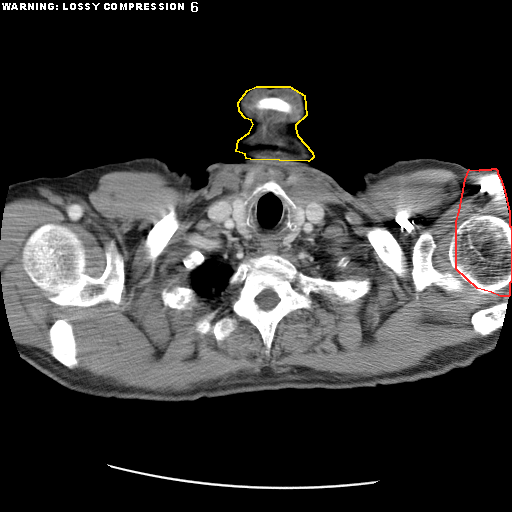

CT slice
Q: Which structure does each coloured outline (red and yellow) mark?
A: red: left arm; yellow: head and neck.
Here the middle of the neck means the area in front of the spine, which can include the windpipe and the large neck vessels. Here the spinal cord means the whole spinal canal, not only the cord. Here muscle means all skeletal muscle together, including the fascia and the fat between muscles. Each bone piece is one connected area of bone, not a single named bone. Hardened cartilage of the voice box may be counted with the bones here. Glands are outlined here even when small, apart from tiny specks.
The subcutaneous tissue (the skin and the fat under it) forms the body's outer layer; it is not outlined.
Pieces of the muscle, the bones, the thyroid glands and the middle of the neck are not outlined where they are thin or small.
Outlines:
left arm: [[492,168],[495,168],[497,170],[497,173],[500,178],[504,190],[509,212],[509,225],[511,227],[511,281],[509,283],[509,295],[508,296],[500,296],[491,292],[477,288],[456,269],[456,221],[459,211],[465,179],[469,169],[479,170],[480,169],[491,169]]
head and neck: [[256,86],[289,86],[304,95],[306,115],[295,125],[295,128],[297,135],[312,152],[313,157],[311,159],[308,161],[250,159],[246,158],[245,154],[236,151],[238,140],[249,132],[253,124],[251,120],[245,118],[239,111],[238,102],[247,90]]
muscle 1: [[264,155],[306,166],[355,198],[418,169],[498,174],[509,220],[476,213],[457,226],[447,253],[457,275],[434,267],[428,232],[410,259],[416,293],[432,285],[461,292],[464,282],[489,294],[509,284],[508,300],[470,317],[481,337],[498,332],[398,371],[264,367],[178,391],[72,370],[80,362],[65,318],[48,329],[54,358],[14,343],[0,283],[5,203],[37,187],[87,200],[113,171],[159,172],[195,199],[221,169]], around holes outlined by [[270,180],[294,203],[303,208],[314,203],[324,212],[311,233],[275,253],[308,276],[368,278],[371,285],[349,303],[312,293],[311,310],[295,309],[277,323],[267,357],[259,331],[247,319],[237,317],[222,340],[194,328],[215,309],[215,320],[234,315],[233,288],[208,299],[198,294],[191,309],[165,305],[160,292],[190,287],[192,272],[183,258],[195,249],[207,258],[215,255],[226,240],[207,211],[220,202],[245,200]] and by [[47,223],[63,225],[77,235],[85,249],[85,272],[92,277],[99,277],[103,273],[106,267],[105,244],[111,239],[114,240],[124,264],[124,287],[118,304],[104,301],[85,307],[58,305],[50,301],[45,293],[35,285],[23,268],[22,250],[30,234]] and by [[373,226],[379,226],[380,227],[383,227],[385,228],[393,236],[393,237],[399,244],[403,252],[403,255],[405,258],[405,262],[406,263],[407,272],[405,277],[401,278],[397,276],[381,260],[378,254],[375,251],[374,248],[369,241],[367,236],[368,229]] and by [[173,206],[175,208],[177,218],[179,220],[179,225],[172,234],[161,253],[155,259],[153,265],[149,260],[146,259],[147,250],[145,247],[145,242],[146,241],[147,235],[149,231],[153,227],[154,224],[158,221],[162,216],[166,214],[170,210],[170,208]] and by [[344,256],[345,256],[346,257],[347,257],[348,258],[348,260],[347,261],[347,263],[346,264],[346,265],[343,268],[338,268],[335,265],[336,264],[336,263],[342,257],[343,257]]
muscle 2: [[259,92],[265,92],[270,95],[273,95],[279,92],[286,92],[293,95],[299,102],[299,112],[298,114],[295,115],[294,117],[291,119],[281,124],[272,124],[271,125],[267,122],[260,121],[253,113],[249,111],[247,107],[247,103],[250,98],[253,95]] with a hole at [[269,96],[279,97],[283,100],[288,102],[292,106],[292,111],[291,112],[284,112],[283,111],[280,111],[275,109],[271,109],[270,108],[263,108],[262,109],[259,109],[254,107],[254,104],[258,100],[261,98],[263,98],[264,97],[268,97]]
middle of the neck: [[266,191],[293,209],[284,245],[299,233],[303,208],[317,204],[324,212],[322,221],[287,249],[241,261],[218,295],[208,299],[197,294],[191,287],[192,271],[226,240],[226,231],[207,211],[220,202],[230,204],[237,232],[249,241],[253,235],[246,205]]
right arm: [[41,176],[49,176],[65,193],[72,209],[74,210],[73,212],[75,215],[75,219],[90,245],[89,266],[68,290],[42,310],[40,313],[10,328],[6,316],[0,283],[0,228],[3,208],[4,204],[6,202],[6,198],[10,184],[14,182],[27,180]]
torso: [[144,156],[189,172],[195,187],[220,161],[308,162],[351,193],[365,172],[397,160],[428,157],[468,168],[455,269],[477,289],[508,297],[493,350],[442,375],[375,387],[164,402],[62,386],[20,356],[10,330],[40,314],[90,266],[91,245],[50,176]]
spinal cord: [[269,288],[271,289],[277,295],[277,296],[279,298],[279,301],[272,308],[270,309],[268,309],[267,310],[265,310],[264,309],[262,309],[260,308],[259,305],[256,302],[255,299],[256,297],[263,290],[265,289],[268,289]]
bones 1: [[268,253],[286,258],[308,276],[368,278],[370,289],[349,303],[312,293],[311,310],[295,309],[277,323],[267,357],[259,331],[247,319],[237,317],[234,330],[217,340],[211,332],[197,332],[194,323],[215,309],[215,320],[233,316],[229,278],[241,262]] with a hole at [[269,288],[271,289],[277,295],[277,296],[279,298],[279,301],[272,308],[270,309],[268,309],[267,310],[265,310],[264,309],[262,309],[260,308],[259,305],[256,302],[255,299],[256,297],[263,290],[265,289],[268,289]]
bones 2: [[47,223],[63,225],[77,235],[85,249],[85,272],[92,277],[99,277],[103,273],[106,267],[105,244],[111,239],[114,240],[124,264],[124,287],[118,304],[104,301],[85,307],[58,305],[50,301],[45,293],[35,285],[23,268],[22,250],[30,234]]
bones 3: [[476,214],[495,215],[509,221],[511,281],[489,293],[480,293],[464,281],[461,291],[445,291],[432,284],[416,292],[411,277],[411,259],[418,238],[424,233],[430,234],[435,243],[431,257],[433,267],[457,276],[457,271],[449,260],[449,244],[458,226]]
bones 4: [[373,226],[379,226],[380,227],[383,227],[385,228],[393,236],[393,237],[399,244],[403,252],[403,255],[405,258],[405,262],[406,263],[407,272],[405,277],[401,278],[397,276],[381,260],[378,254],[375,251],[374,248],[369,241],[367,236],[368,229]]
bones 5: [[58,319],[65,319],[72,325],[72,330],[74,335],[74,339],[76,343],[76,350],[77,351],[76,353],[76,357],[79,362],[78,365],[72,369],[70,369],[58,361],[49,352],[49,350],[51,347],[50,340],[49,339],[49,329],[52,324]]
bones 6: [[173,206],[175,208],[177,218],[179,220],[179,225],[172,234],[161,253],[155,259],[153,265],[149,260],[146,259],[147,250],[145,247],[145,242],[146,241],[147,235],[149,231],[153,227],[154,224],[158,221],[162,216],[166,214],[170,210],[170,208]]
bones 7: [[504,301],[506,301],[506,308],[505,309],[505,315],[503,319],[503,323],[502,325],[494,331],[487,334],[485,336],[481,336],[479,334],[476,333],[474,331],[473,326],[471,323],[471,317],[473,313],[479,309],[482,309]]
bones 8: [[174,286],[179,286],[180,287],[190,287],[192,289],[193,289],[197,295],[197,302],[198,303],[197,306],[195,307],[193,307],[191,309],[177,309],[176,308],[172,308],[167,305],[165,305],[162,301],[160,292],[163,288],[166,288],[169,290],[171,289]]
bones 9: [[269,96],[279,97],[283,100],[288,102],[292,106],[292,111],[291,112],[284,112],[283,111],[280,111],[275,109],[271,109],[270,108],[263,108],[262,109],[259,109],[254,107],[254,104],[258,100],[261,98],[263,98],[264,97],[268,97]]
bones 10: [[270,180],[273,180],[275,181],[281,186],[286,194],[293,201],[294,203],[294,206],[293,208],[289,204],[288,204],[286,200],[283,197],[275,193],[271,190],[259,191],[254,194],[247,201],[247,202],[246,201],[248,197],[258,185],[262,184]]
bones 11: [[195,249],[196,249],[200,252],[201,252],[206,257],[206,258],[205,259],[205,260],[199,266],[198,266],[193,270],[192,270],[191,271],[189,271],[186,268],[186,267],[183,263],[183,258],[184,258],[191,251],[192,251]]
thyroid glands 1: [[236,198],[241,198],[245,200],[246,202],[246,204],[245,205],[245,215],[247,218],[247,221],[249,222],[249,230],[252,235],[251,239],[249,240],[245,239],[238,232],[236,228],[236,223],[232,215],[232,206],[231,205],[232,201],[233,201]]
thyroid glands 2: [[295,203],[296,204],[298,204],[300,205],[303,209],[303,221],[302,223],[299,226],[298,233],[296,235],[296,236],[288,244],[284,244],[283,239],[288,234],[290,233],[291,231],[291,229],[294,225],[293,224],[294,223],[294,207],[295,206]]